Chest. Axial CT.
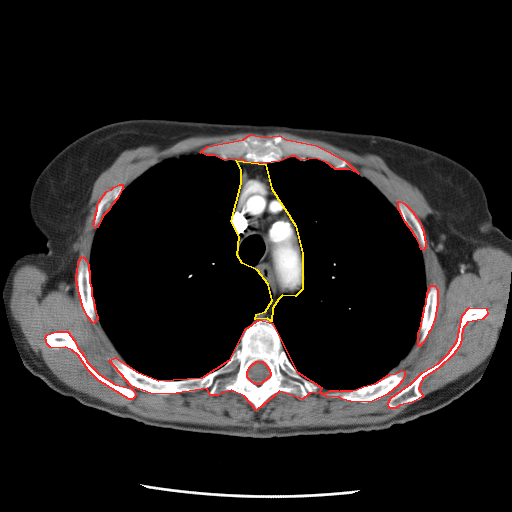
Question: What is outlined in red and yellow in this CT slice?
Answer: red: bones; yellow: mediastinum.
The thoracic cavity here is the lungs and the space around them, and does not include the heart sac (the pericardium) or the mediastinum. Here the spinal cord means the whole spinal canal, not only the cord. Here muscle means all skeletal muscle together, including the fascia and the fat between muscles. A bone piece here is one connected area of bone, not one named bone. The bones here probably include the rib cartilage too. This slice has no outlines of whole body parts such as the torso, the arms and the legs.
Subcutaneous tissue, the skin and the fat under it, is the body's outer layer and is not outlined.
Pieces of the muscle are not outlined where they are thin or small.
The bones appear in 9 outlined pieces: piece 1: 259 319; 272 323; 296 371; 321 387; 319 392; 309 393; 302 399; 279 391; 256 410; 244 396; 231 390; 217 395; 210 395; 207 388; 170 394; 150 393; 131 386; 109 360; 115 357; 136 371; 158 380; 202 377; 230 359; 245 329, around a hole outlined by 256 361; 262 361; 267 366; 267 367; 269 369; 269 371; 270 372; 270 375; 269 376; 269 377; 268 378; 267 378; 265 380; 264 380; 260 384; 256 384; 255 383; 252 382; 247 377; 247 371; 248 370; 249 367; 253 363; 254 363; piece 2: 250 134; 265 137; 279 135; 286 139; 316 145; 345 160; 358 173; 348 169; 335 169; 326 162; 315 158; 301 160; 295 156; 290 156; 279 161; 262 163; 247 162; 240 159; 224 160; 214 155; 206 155; 200 152; 207 146; 243 139; piece 3: 469 307; 486 308; 487 314; 482 319; 467 322; 462 329; 460 344; 453 354; 438 368; 422 378; 418 388; 423 396; 412 402; 399 405; 395 408; 389 408; 388 402; 391 397; 411 383; 422 372; 438 363; 448 353; 457 340; 462 315; piece 4: 401 370; 404 371; 404 375; 402 380; 398 385; 387 394; 372 401; 368 402; 350 401; 342 399; 339 397; 326 396; 321 393; 327 392; 330 390; 338 390; 340 391; 341 390; 352 390; 356 389; 363 386; 375 383; 389 374; 395 373; piece 5: 56 331; 67 331; 74 340; 77 347; 84 356; 86 361; 99 374; 115 384; 131 388; 134 391; 135 394; 134 397; 132 399; 129 399; 98 380; 88 370; 78 355; 72 350; 65 347; 60 348; 50 347; 47 344; 45 337; 47 334; piece 6: 82 256; 86 260; 88 264; 88 269; 89 270; 89 282; 91 288; 91 295; 93 300; 95 312; 97 316; 97 319; 93 323; 87 316; 82 305; 80 296; 79 295; 78 287; 77 286; 77 282; 76 281; 76 274; 77 273; 78 261; piece 7: 431 285; 434 285; 437 289; 437 306; 436 307; 435 316; 430 330; 428 332; 423 342; 419 346; 418 346; 418 333; 421 325; 422 317; 423 316; 423 312; 424 311; 424 308; 426 303; 427 292; 429 289; 429 287; piece 8: 398 201; 400 201; 404 203; 413 212; 413 213; 419 221; 421 225; 421 227; 423 230; 423 234; 424 235; 424 239; 425 240; 425 247; 423 250; 421 249; 420 247; 420 245; 416 237; 414 235; 413 232; 405 222; 400 211; 398 209; piece 9: 119 184; 122 184; 122 187; 123 188; 121 190; 117 198; 111 205; 109 209; 102 216; 97 227; 95 228; 93 224; 94 223; 94 219; 95 218; 95 215; 96 214; 96 211; 97 210; 97 205; 99 201; 106 191; 111 189; 113 187. The mediastinum is outlined by 236 160; 265 164; 271 188; 295 225; 302 253; 302 289; 295 296; 282 295; 278 299; 272 308; 271 321; 267 318; 255 319; 256 314; 265 311; 272 300; 268 284; 257 270; 242 263; 237 255; 239 236; 231 221; 241 183; 241 169. The spinal cord is outlined by 256 361; 262 361; 267 366; 267 367; 269 369; 269 371; 270 372; 270 375; 269 376; 269 377; 268 378; 267 378; 265 380; 264 380; 260 384; 256 384; 255 383; 252 382; 247 377; 247 371; 248 370; 249 367; 253 363; 254 363. The muscle is outlined by 278 131; 315 138; 360 155; 377 155; 396 174; 417 187; 434 211; 423 224; 448 282; 456 275; 477 270; 472 254; 480 246; 496 246; 511 254; 507 303; 492 353; 468 373; 425 396; 419 388; 423 378; 443 365; 458 349; 465 325; 482 320; 488 314; 486 307; 469 306; 461 315; 456 340; 447 353; 389 398; 389 409; 414 402; 403 412; 376 423; 332 426; 253 430; 242 426; 156 420; 133 413; 125 406; 112 405; 79 392; 59 380; 32 350; 12 315; 12 281; 19 267; 33 264; 48 276; 48 290; 55 289; 63 281; 73 282; 78 254; 73 247; 89 213; 89 200; 98 176; 127 149; 145 145; 163 149; 198 135; inner edges: 250 134; 279 135; 328 150; 397 209; 398 201; 404 203; 421 225; 426 289; 437 289; 435 316; 423 342; 418 346; 417 336; 389 372; 404 371; 402 380; 378 399; 326 396; 321 393; 330 390; 322 387; 302 399; 276 392; 256 410; 231 390; 142 391; 113 368; 111 357; 124 359; 100 321; 93 323; 85 312; 77 266; 82 256; 90 262; 94 219; 105 192; 119 184; 125 188; 164 160, then 56 331; 67 331; 74 340; 77 347; 84 356; 86 361; 99 374; 115 384; 131 388; 134 391; 135 394; 134 397; 132 399; 129 399; 98 380; 88 370; 78 355; 72 350; 65 347; 60 348; 50 347; 47 344; 45 337; 47 334. The thoracic cavity appears in 2 outlined pieces: piece 1: 197 153; 231 160; 239 167; 240 183; 230 220; 238 236; 236 255; 242 264; 257 271; 265 281; 271 300; 265 310; 255 314; 223 365; 202 376; 164 380; 142 373; 126 363; 106 334; 92 295; 90 255; 96 229; 124 188; 164 160; piece 2: 290 157; 301 161; 315 159; 335 170; 348 170; 367 179; 399 211; 421 250; 427 291; 417 336; 397 365; 375 382; 339 390; 307 379; 290 361; 272 322; 273 308; 279 299; 297 296; 305 281; 296 225; 272 188; 266 168; 266 164.